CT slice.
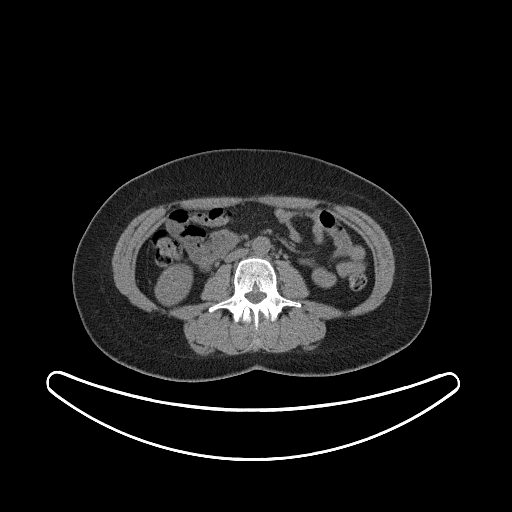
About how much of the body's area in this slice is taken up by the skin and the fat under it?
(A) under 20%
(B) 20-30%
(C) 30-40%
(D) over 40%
Answer: (D) over 40%
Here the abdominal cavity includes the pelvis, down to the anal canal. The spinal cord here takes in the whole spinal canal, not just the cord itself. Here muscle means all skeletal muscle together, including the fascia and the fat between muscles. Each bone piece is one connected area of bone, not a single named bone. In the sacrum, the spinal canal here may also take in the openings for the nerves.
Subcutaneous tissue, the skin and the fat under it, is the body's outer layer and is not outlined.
Outlined structures:
muscle: [[267,194],[285,195],[286,196],[299,196],[300,197],[306,197],[307,198],[323,199],[337,204],[343,204],[344,205],[349,205],[355,207],[369,215],[380,225],[385,232],[390,242],[393,251],[394,259],[395,260],[394,277],[391,288],[386,294],[386,297],[384,301],[375,309],[365,314],[358,315],[353,317],[348,317],[347,318],[336,318],[330,320],[327,323],[326,334],[317,348],[312,351],[308,351],[307,352],[293,352],[292,351],[288,351],[281,353],[272,353],[271,352],[266,352],[261,349],[258,351],[246,352],[237,355],[225,355],[224,354],[220,356],[218,355],[208,355],[207,356],[198,355],[189,347],[189,345],[183,332],[182,324],[178,320],[172,317],[167,317],[165,315],[161,315],[155,312],[147,312],[138,308],[133,305],[115,286],[113,280],[113,274],[112,273],[112,267],[111,266],[111,259],[115,245],[121,233],[131,220],[143,211],[160,204],[167,203],[175,200],[181,200],[182,199],[188,199],[189,198],[210,197],[211,196],[239,196],[240,197],[246,197],[252,195],[260,196]]; inner edge: [[244,202],[344,222],[371,251],[369,295],[345,310],[308,299],[299,270],[278,260],[277,290],[301,306],[284,306],[274,321],[261,313],[257,330],[226,308],[208,310],[234,292],[227,263],[203,284],[203,301],[155,303],[136,281],[152,231],[175,209]]
spinal cord: [[252,291],[258,291],[259,292],[262,292],[263,293],[264,293],[265,294],[265,296],[260,301],[259,301],[258,302],[257,302],[256,303],[253,303],[252,302],[251,302],[246,297],[246,294],[247,293],[248,293],[249,292],[251,292]]
bones: [[248,257],[258,257],[269,261],[276,273],[278,292],[283,297],[301,304],[300,307],[284,306],[274,321],[261,313],[257,330],[255,330],[252,321],[235,322],[232,314],[226,308],[218,308],[211,312],[208,310],[212,305],[233,294],[234,271],[238,263]]; inner edge: [[252,291],[258,291],[259,292],[262,292],[263,293],[264,293],[265,294],[265,296],[260,301],[259,301],[258,302],[257,302],[256,303],[253,303],[252,302],[251,302],[246,297],[246,294],[247,293],[248,293],[249,292],[251,292]]
torso: [[236,147],[283,149],[335,163],[377,184],[407,209],[423,236],[432,281],[427,320],[408,346],[378,363],[336,375],[295,376],[254,369],[197,382],[138,372],[110,359],[96,347],[80,320],[71,280],[77,245],[93,215],[119,186],[151,168],[192,153]]
abdominal cavity: [[244,202],[322,210],[344,222],[371,251],[369,295],[345,310],[308,299],[306,281],[288,260],[278,260],[275,270],[269,260],[248,256],[237,263],[232,280],[227,263],[208,277],[203,301],[169,309],[155,303],[136,281],[138,253],[152,231],[175,209]]